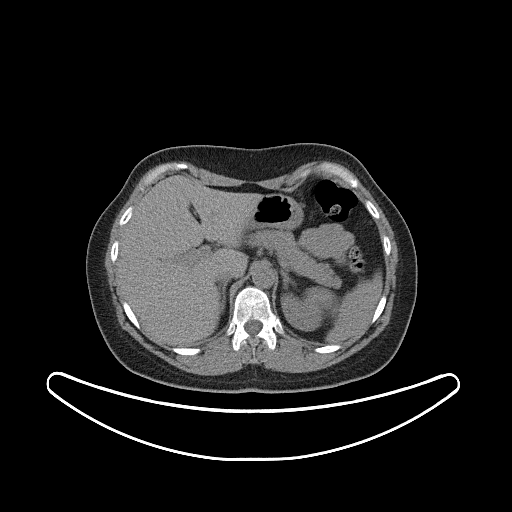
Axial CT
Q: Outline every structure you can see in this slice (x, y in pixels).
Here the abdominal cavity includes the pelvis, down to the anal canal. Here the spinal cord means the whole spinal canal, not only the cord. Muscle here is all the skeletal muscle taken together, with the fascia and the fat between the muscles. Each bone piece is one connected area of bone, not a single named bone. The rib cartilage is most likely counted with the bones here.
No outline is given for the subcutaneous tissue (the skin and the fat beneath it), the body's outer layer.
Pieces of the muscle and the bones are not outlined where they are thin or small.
A: {"abdominal_cavity":[[[181,170],[207,185],[254,184],[283,192],[317,174],[345,182],[373,218],[384,253],[383,292],[367,325],[336,345],[296,337],[272,309],[267,294],[272,271],[258,265],[235,295],[224,330],[210,342],[172,347],[150,337],[120,287],[120,235],[149,187]]],"torso":[[[297,142],[329,144],[353,154],[393,202],[409,228],[417,257],[417,294],[406,333],[393,358],[368,377],[335,387],[289,393],[182,389],[126,369],[111,353],[97,326],[86,281],[86,250],[97,219],[133,167],[150,153],[172,146],[207,144],[262,148]]],"bones":[{"outer":[[246,286],[259,288],[266,293],[272,311],[282,324],[285,333],[276,334],[276,345],[274,349],[269,348],[263,340],[260,339],[255,346],[254,353],[251,344],[248,342],[241,344],[237,350],[234,350],[231,336],[225,333],[232,318],[235,297],[238,292]],"hole":[[249,320],[257,320],[258,321],[259,321],[261,323],[261,324],[262,325],[262,326],[261,327],[261,328],[260,329],[260,330],[256,334],[255,334],[253,336],[252,336],[249,333],[248,333],[245,330],[245,329],[244,328],[244,326],[245,325],[245,324]]},[[322,163],[331,163],[332,164],[335,164],[343,168],[349,172],[358,180],[358,186],[356,188],[351,187],[340,177],[338,177],[335,175],[325,175],[322,173],[318,173],[314,171],[310,173],[306,177],[302,177],[300,176],[300,173],[307,168],[311,168]],[[175,162],[177,163],[178,162],[179,163],[180,162],[186,163],[188,165],[187,168],[185,169],[179,169],[178,170],[169,170],[164,173],[162,173],[150,184],[146,185],[143,188],[143,190],[141,190],[140,184],[146,175],[160,165],[166,163],[174,163]],[[124,301],[127,302],[127,303],[129,305],[131,310],[135,315],[135,316],[137,319],[137,321],[139,323],[139,325],[140,326],[140,328],[139,329],[138,329],[131,322],[131,321],[126,315],[126,314],[124,311],[124,308],[123,307],[123,305],[122,304]],[[173,347],[185,347],[186,348],[199,348],[201,350],[198,353],[196,353],[195,354],[194,354],[193,355],[183,355],[182,354],[179,354],[178,353],[177,353],[176,352],[175,352],[174,351],[173,351],[172,350],[172,348]],[[382,295],[385,295],[386,297],[386,301],[385,302],[385,305],[380,315],[376,319],[376,320],[372,323],[371,322],[372,317],[374,314],[374,312],[376,309],[376,307]],[[365,200],[369,200],[374,205],[374,206],[376,208],[376,209],[378,211],[378,212],[379,213],[379,218],[378,218],[377,219],[376,219],[375,218],[374,218],[370,214],[370,213],[368,211],[368,210],[366,208],[366,207],[364,204],[364,202],[365,201]],[[130,206],[132,206],[133,207],[133,210],[132,211],[132,214],[131,215],[130,218],[127,221],[127,222],[126,223],[125,223],[123,225],[120,225],[119,224],[119,220],[120,219],[121,216],[123,214],[123,213],[126,210],[126,209],[128,207],[129,207]],[[115,240],[117,240],[118,241],[118,253],[117,254],[117,258],[116,259],[116,260],[115,261],[115,262],[112,262],[111,261],[111,259],[110,258],[110,252],[111,251],[111,247],[112,246],[112,244],[113,243],[113,242]],[[337,345],[340,345],[340,348],[339,348],[338,349],[337,349],[336,350],[335,350],[334,351],[333,351],[332,352],[328,352],[327,353],[320,353],[319,352],[316,352],[314,350],[314,349],[316,347],[330,347],[331,346],[336,346]],[[383,235],[386,235],[388,237],[388,238],[389,239],[389,240],[390,241],[390,245],[391,246],[391,249],[390,250],[390,253],[388,255],[386,255],[385,254],[385,253],[384,252],[384,248],[383,247],[383,244],[382,243],[382,236]]],"muscle":[[[173,161],[185,161],[217,174],[255,181],[290,173],[312,161],[335,162],[346,167],[355,174],[370,192],[394,234],[398,261],[389,323],[368,344],[343,360],[301,373],[249,364],[234,372],[199,375],[182,370],[147,350],[117,321],[104,259],[118,212],[138,180],[162,163],[143,177],[140,190],[150,185],[135,207],[128,206],[120,216],[118,224],[123,227],[119,241],[112,242],[109,252],[110,261],[116,263],[125,315],[156,342],[171,347],[179,355],[193,356],[202,350],[198,347],[221,335],[228,324],[224,333],[230,336],[234,351],[248,343],[254,354],[260,340],[274,350],[277,334],[284,335],[285,329],[304,342],[321,346],[313,349],[316,353],[327,354],[340,349],[340,344],[359,334],[370,322],[374,323],[387,301],[383,294],[385,255],[391,253],[391,241],[386,234],[380,235],[374,219],[379,219],[380,213],[375,205],[369,199],[361,201],[352,188],[359,186],[359,180],[343,167],[331,162],[307,167],[299,173],[304,178],[301,183],[283,191],[254,183],[207,184],[183,170],[189,167],[186,162]]],"spinal_cord":[[[249,320],[257,320],[258,321],[259,321],[261,323],[261,324],[262,325],[262,326],[261,327],[261,328],[260,329],[260,330],[256,334],[255,334],[253,336],[252,336],[249,333],[248,333],[245,330],[245,329],[244,328],[244,326],[245,325],[245,324]]],"mediastinum":[[[258,266],[265,266],[269,268],[271,271],[271,274],[273,276],[273,283],[271,284],[271,289],[267,292],[264,291],[259,287],[257,287],[253,285],[246,285],[246,281],[247,281],[248,280],[248,278],[252,275],[252,272],[254,271],[254,269],[257,268]]]}